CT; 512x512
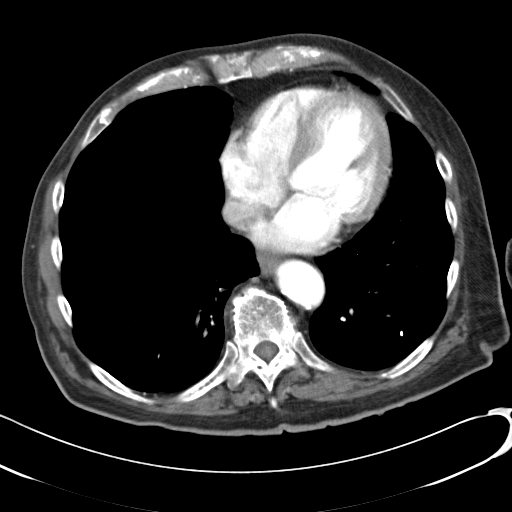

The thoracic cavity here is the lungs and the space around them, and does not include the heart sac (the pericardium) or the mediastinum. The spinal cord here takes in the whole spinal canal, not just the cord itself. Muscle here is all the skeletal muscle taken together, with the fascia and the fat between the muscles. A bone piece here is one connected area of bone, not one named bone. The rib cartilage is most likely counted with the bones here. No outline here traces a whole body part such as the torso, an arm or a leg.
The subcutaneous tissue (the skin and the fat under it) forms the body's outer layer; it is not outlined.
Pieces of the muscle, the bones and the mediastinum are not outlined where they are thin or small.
The mediastinum appears in 3 outlined pieces: piece 1: 254 249; 268 254; 316 257; 315 263; 323 274; 324 293; 320 303; 312 312; 307 329; 303 334; 296 329; 296 318; 285 301; 278 295; 256 285; 245 286; 230 299; 230 319; 233 326; 228 320; 226 306; 233 289; 257 276; 260 272; piece 2: 316 64; 329 64; 351 72; 346 76; 361 88; 349 81; 333 76; 315 75; 303 77; 280 85; 254 98; 231 123; 233 104; 231 96; 215 86; 206 84; 210 79; 215 79; 219 84; 225 84; 240 79; 261 78; 282 70; 292 71; piece 3: 366 92; 369 92; 370 93; 373 93; 374 94; 381 95; 383 97; 383 98; 391 106; 391 107; 393 108; 393 111; 389 111; 387 112; 386 114; 385 114; 383 111; 383 109; 380 103; 374 97; 371 96; 369 93. The muscle appears in 3 outlined pieces: piece 1: 412 112; 449 156; 462 202; 470 299; 468 335; 464 343; 434 368; 394 388; 349 400; 297 399; 278 405; 272 396; 269 399; 271 407; 255 405; 233 414; 211 416; 146 411; 71 380; 60 366; 50 344; 39 302; 37 244; 49 181; 68 161; 77 140; 86 129; 79 145; 80 151; 65 182; 59 177; 52 188; 51 205; 54 214; 58 215; 58 234; 50 239; 49 251; 61 274; 62 292; 55 296; 58 309; 72 328; 77 345; 89 359; 86 361; 88 368; 109 389; 137 402; 152 405; 155 402; 153 398; 137 392; 177 393; 173 399; 185 403; 225 381; 232 390; 249 372; 254 373; 267 392; 271 393; 279 374; 288 368; 297 368; 305 377; 309 376; 307 368; 334 372; 336 368; 329 362; 362 371; 389 368; 377 374; 380 379; 394 379; 409 371; 434 345; 435 337; 432 334; 445 313; 447 299; 460 270; 459 261; 453 257; 453 234; 457 229; 458 213; 445 191; 445 183; 452 181; 452 167; 440 149; 434 153; 414 124; 416 121; piece 2: 280 43; 291 43; 317 45; 339 52; 353 60; 367 72; 381 77; 390 86; 388 86; 379 78; 376 79; 373 82; 373 84; 360 75; 347 69; 336 67; 329 63; 320 63; 324 61; 328 55; 328 52; 324 48; 304 45; 303 44; 298 45; 283 45; 276 44; piece 3: 205 54; 209 54; 207 54; 205 56; 205 59; 206 60; 207 67; 210 73; 213 76; 214 78; 210 78; 210 75; 208 71; 204 67; 202 66; 200 66; 199 65; 194 66; 193 65; 188 65; 187 64; 185 65; 179 65; 178 66; 175 66; 169 69; 167 69; 166 70; 162 70; 158 72; 156 74; 149 77; 147 79; 134 85; 126 92; 123 93; 118 98; 114 98; 112 100; 111 100; 116 96; 126 91; 130 87; 134 85; 142 78; 145 77; 147 75; 151 73; 154 73; 166 67; 170 67; 171 66; 174 66; 175 65; 177 65; 183 62; 187 59; 194 58; 197 56; 199 56; 200 55; 204 55. The spinal cord is outlined by 264 341; 268 341; 269 342; 271 342; 272 343; 273 343; 277 347; 277 352; 273 356; 273 357; 268 361; 266 361; 264 359; 263 359; 261 357; 260 357; 257 354; 256 354; 254 352; 254 349; 256 347; 256 346; 261 342; 263 342. The pericardium is outlined by 315 76; 333 77; 349 82; 369 94; 379 103; 385 115; 391 145; 391 177; 385 195; 374 215; 339 247; 317 256; 268 253; 255 249; 249 240; 224 221; 222 212; 226 200; 226 192; 219 158; 230 135; 231 124; 250 102; 280 86. The bones appear in 12 outlined pieces: piece 1: 247 286; 256 286; 281 298; 295 318; 295 329; 335 370; 307 367; 305 376; 297 367; 288 367; 278 374; 271 392; 249 371; 232 389; 225 380; 193 400; 176 401; 174 397; 179 392; 204 378; 221 359; 225 342; 234 333; 231 299; inner edge: 264 341; 268 341; 269 342; 271 342; 272 343; 273 343; 277 347; 277 352; 273 356; 273 357; 268 361; 266 361; 264 359; 263 359; 261 357; 260 357; 257 354; 256 354; 254 352; 254 349; 256 347; 256 346; 261 342; 263 342; piece 2: 276 45; 303 45; 324 49; 327 55; 319 63; 297 67; 292 70; 282 69; 261 77; 246 77; 225 83; 217 82; 208 67; 206 56; 210 54; 217 53; 223 56; 226 53; 234 52; 239 55; 244 50; 252 50; 255 52; 269 49; piece 3: 186 65; 204 68; 209 75; 209 79; 205 84; 179 87; 143 96; 140 94; 128 96; 119 103; 119 107; 121 109; 111 122; 91 142; 80 150; 80 145; 90 123; 102 108; 107 106; 114 99; 118 99; 134 86; 158 73; piece 4: 431 335; 434 337; 434 342; 433 343; 433 345; 429 351; 425 355; 425 356; 413 367; 412 367; 406 372; 394 378; 380 378; 378 377; 378 374; 379 373; 383 371; 385 371; 397 364; 400 361; 405 358; 410 353; 411 353; 425 339; piece 5: 88 360; 92 361; 101 367; 113 377; 117 379; 121 383; 130 388; 135 392; 145 397; 153 399; 154 400; 154 402; 152 404; 147 404; 146 403; 129 398; 112 390; 101 382; 93 374; 88 366; 88 364; 87 363; 87 361; piece 6: 379 79; 388 87; 390 87; 399 96; 401 100; 410 110; 415 121; 414 123; 412 123; 405 119; 397 111; 396 111; 384 98; 382 95; 382 93; 383 92; 382 90; 380 88; 378 88; 374 84; 374 82; 376 80; 378 80; piece 7: 437 150; 440 150; 443 153; 443 154; 446 157; 446 158; 448 160; 450 164; 450 166; 451 167; 451 173; 452 174; 452 176; 451 177; 451 181; 449 183; 445 182; 444 181; 438 169; 438 167; 437 166; 437 164; 435 160; 435 152; piece 8: 59 178; 60 178; 64 182; 63 201; 62 202; 62 204; 61 205; 61 207; 59 210; 59 212; 58 214; 55 214; 54 212; 54 210; 53 209; 53 206; 52 205; 52 192; 53 191; 53 188; 54 187; 54 185; 56 181; piece 9: 453 258; 455 258; 458 261; 459 263; 459 270; 458 271; 458 275; 457 276; 456 281; 454 284; 454 286; 448 298; 446 298; 446 289; 447 288; 447 274; 448 273; 448 270; 449 269; 450 264; piece 10: 56 234; 59 236; 59 239; 60 240; 60 243; 61 244; 61 251; 62 252; 62 260; 61 261; 61 266; 60 267; 60 270; 57 269; 53 261; 53 259; 51 255; 51 252; 50 251; 50 244; 51 243; 51 239; 53 237; 53 236; piece 11: 59 293; 62 293; 64 295; 64 296; 66 298; 66 299; 71 308; 71 319; 72 320; 72 327; 70 327; 68 325; 68 324; 64 319; 64 318; 59 309; 59 307; 58 306; 58 304; 57 303; 57 301; 56 300; 56 296; piece 12: 446 197; 448 197; 452 200; 455 206; 455 209; 457 213; 457 224; 456 225; 456 229; 454 233; 452 232; 451 227; 447 220; 447 217; 446 216; 446 212; 445 211; 445 199. The thoracic cavity appears in 3 outlined pieces: piece 1: 204 85; 217 88; 232 100; 229 133; 218 158; 224 188; 220 214; 231 233; 252 245; 259 272; 232 289; 225 313; 233 333; 210 372; 178 392; 137 391; 91 360; 76 341; 61 273; 59 213; 65 183; 80 152; 127 105; 160 92; piece 2: 394 110; 417 128; 434 154; 444 182; 444 211; 453 237; 453 251; 446 274; 445 309; 433 332; 391 367; 362 370; 324 359; 309 345; 304 333; 325 293; 324 274; 316 258; 340 248; 350 240; 372 219; 388 194; 394 166; 386 115; piece 3: 352 73; 360 76; 362 78; 363 78; 365 80; 366 80; 368 82; 375 86; 379 90; 381 94; 378 94; 377 93; 374 93; 373 92; 370 92; 369 91; 366 91; 364 90; 358 84; 353 82; 347 76; 348 74; 351 74.